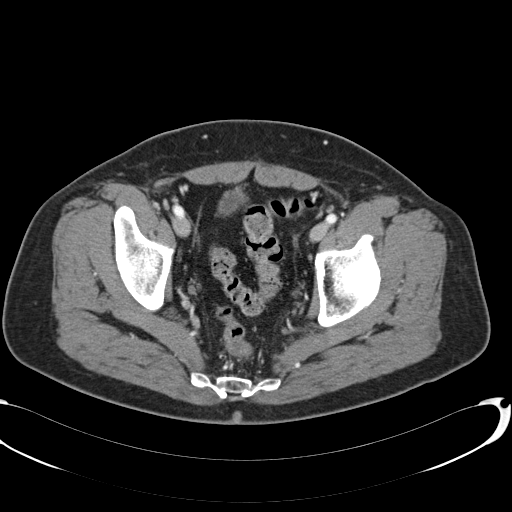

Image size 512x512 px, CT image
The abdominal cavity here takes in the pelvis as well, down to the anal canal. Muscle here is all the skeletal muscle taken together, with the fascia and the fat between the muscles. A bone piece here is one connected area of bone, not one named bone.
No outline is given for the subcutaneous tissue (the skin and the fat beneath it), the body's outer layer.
Outlined structures:
bones 1: 364,233 372,234 374,237 372,241 372,247 375,259 379,267 381,277 377,295 374,300 367,307 365,307 353,316 334,325 323,327 317,321 317,316 319,312 319,296 314,268 315,254 316,252 323,249 350,248
bones 2: 121,205 127,205 133,210 136,223 140,231 146,237 173,247 175,249 172,258 170,273 165,284 164,303 159,309 155,311 149,310 141,305 130,294 125,287 117,269 114,253 115,237 113,228 113,217 116,209
bones 3: 193,371 199,371 212,377 219,375 234,375 249,378 254,381 266,377 278,377 281,379 281,382 279,386 274,390 258,390 248,397 230,393 227,397 220,398 215,391 208,386 197,387 193,385 190,381 190,373
torso: 231,118 287,121 341,135 380,156 456,211 470,232 488,307 491,331 485,350 435,381 381,401 308,419 259,425 200,423 138,411 72,389 20,363 3,337 3,302 22,238 38,207 82,173 146,138 194,123
muscle: 259,159 336,181 351,200 393,194 437,216 448,232 449,248 439,314 442,336 433,353 390,373 291,403 260,405 236,400 199,405 86,369 58,348 51,337 51,239 62,206 77,188 112,177 142,184 164,172; inner edge: 253,169 263,186 322,187 346,211 317,250 350,248 362,234 372,234 381,279 367,307 328,327 317,321 315,280 299,335 271,356 267,375 251,378 278,377 279,386 220,398 212,388 190,381 193,371 218,374 173,302 172,275 164,303 155,311 125,287 115,261 113,217 119,206 129,206 146,237 175,249 172,227 150,196 179,178 233,184
abdominal cavity: 253,169 254,179 263,186 296,190 320,186 346,211 317,246 312,297 299,335 290,337 271,356 267,375 250,378 218,375 174,304 171,269 177,242 172,227 153,206 150,196 179,178 201,185 233,184 245,179